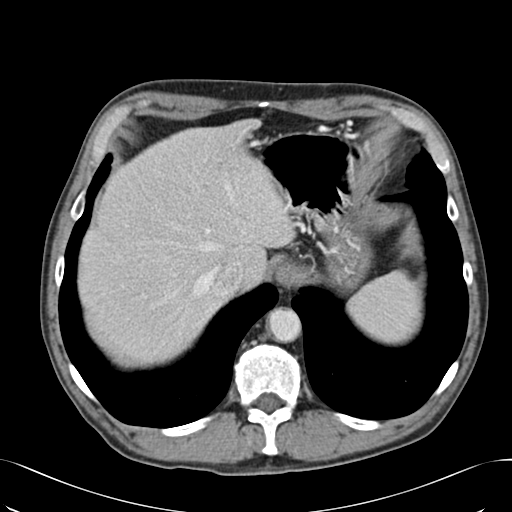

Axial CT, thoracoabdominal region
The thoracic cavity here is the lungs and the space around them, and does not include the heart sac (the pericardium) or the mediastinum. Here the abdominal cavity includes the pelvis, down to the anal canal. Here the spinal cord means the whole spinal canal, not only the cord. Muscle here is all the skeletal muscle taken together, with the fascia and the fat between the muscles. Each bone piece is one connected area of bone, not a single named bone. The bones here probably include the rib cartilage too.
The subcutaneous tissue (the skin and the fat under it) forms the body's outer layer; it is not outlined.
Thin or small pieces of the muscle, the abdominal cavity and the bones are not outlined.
Outlines:
abdominal cavity: [[146,107],[171,120],[249,107],[379,117],[421,134],[427,150],[407,165],[407,190],[384,198],[411,204],[425,243],[426,311],[415,340],[378,345],[329,292],[295,295],[265,283],[222,308],[172,365],[111,367],[83,326],[78,252],[110,171],[110,136]]
spinal cord: [[263,393],[273,393],[274,394],[275,394],[282,401],[282,404],[278,408],[276,408],[274,410],[273,410],[269,413],[268,412],[266,412],[265,411],[260,409],[256,406],[256,400],[258,398],[258,397],[261,394],[262,394]]
mediastinum: [[279,291],[294,294],[291,298],[291,306],[299,317],[302,325],[303,365],[302,364],[301,365],[297,358],[286,349],[279,345],[271,343],[259,343],[254,345],[244,350],[235,360],[237,350],[242,339],[251,326],[261,316],[275,305],[279,297]]
muscle 1: [[145,90],[227,100],[264,100],[258,106],[219,110],[195,119],[167,118],[158,115],[149,106],[131,113],[133,106],[129,103],[116,106],[106,116],[93,139],[90,152],[89,163],[96,169],[70,207],[69,216],[74,223],[64,253],[58,255],[54,266],[54,283],[59,291],[59,329],[69,358],[67,367],[78,388],[115,418],[129,425],[159,428],[159,432],[167,437],[186,436],[205,428],[215,416],[210,413],[227,395],[227,401],[230,402],[235,390],[239,404],[245,408],[246,420],[262,428],[264,445],[261,452],[264,454],[256,454],[234,463],[167,461],[128,449],[109,434],[71,392],[50,343],[46,310],[48,271],[52,242],[65,199],[89,137],[101,116],[118,101]] with a hole at [[139,100],[146,100],[147,101],[147,102],[148,103],[147,104],[147,105],[146,105],[145,106],[143,106],[142,107],[136,107],[135,106],[135,104],[136,103],[136,102],[137,101],[138,101]]
muscle 2: [[348,94],[368,94],[410,105],[431,120],[445,141],[454,162],[475,249],[475,278],[480,304],[479,333],[462,379],[448,401],[430,421],[402,438],[371,449],[327,460],[306,461],[285,454],[279,455],[276,445],[278,426],[292,418],[303,392],[309,400],[312,393],[333,410],[332,415],[342,424],[355,430],[372,431],[383,426],[379,420],[406,416],[417,410],[430,397],[440,395],[449,386],[460,364],[458,356],[465,340],[469,317],[468,289],[474,279],[472,265],[463,257],[460,240],[453,224],[460,214],[453,196],[448,192],[444,177],[450,172],[450,161],[442,144],[423,117],[395,105],[379,106],[394,119],[360,115],[322,119],[267,106],[270,103],[267,100],[329,98]]
bones 1: [[259,344],[279,346],[295,357],[301,369],[301,383],[308,386],[312,395],[309,399],[303,391],[291,418],[277,426],[275,455],[262,452],[263,428],[247,420],[246,408],[240,404],[237,391],[234,390],[228,401],[228,391],[234,387],[234,363],[244,351]]; inner edge: [[263,393],[273,393],[274,394],[275,394],[282,401],[282,404],[278,408],[276,408],[274,410],[273,410],[269,413],[268,412],[266,412],[265,411],[260,409],[256,406],[256,400],[258,398],[258,397],[261,394],[262,394]]
bones 2: [[380,106],[401,107],[409,110],[423,118],[435,135],[435,137],[437,140],[441,144],[443,150],[446,154],[446,156],[449,161],[449,172],[444,175],[437,167],[428,150],[428,145],[425,136],[423,134],[400,123],[399,121],[395,119],[387,111],[382,109]]
bones 3: [[123,104],[129,104],[131,105],[132,106],[132,110],[127,117],[113,130],[109,136],[107,142],[107,147],[106,148],[105,155],[98,166],[96,167],[93,164],[90,163],[90,161],[92,159],[91,152],[92,151],[94,139],[101,125],[107,116],[116,107]]
bones 4: [[210,414],[214,414],[214,416],[212,419],[206,424],[206,426],[205,427],[197,431],[192,432],[186,435],[167,436],[162,434],[159,430],[160,428],[167,428],[168,427],[174,427],[179,425],[183,425],[184,424],[195,421],[200,418],[202,418]]
bones 5: [[334,411],[336,411],[340,413],[343,413],[344,414],[346,414],[347,415],[349,415],[356,418],[366,419],[367,420],[377,420],[382,424],[382,426],[379,428],[373,429],[372,430],[361,430],[360,429],[355,429],[339,421],[338,419],[333,415],[333,412]]
bones 6: [[68,360],[70,360],[70,361],[76,368],[76,369],[80,374],[81,377],[85,382],[86,385],[89,388],[89,389],[95,396],[95,397],[99,401],[100,403],[99,404],[96,403],[90,398],[89,398],[75,383],[69,371],[69,368],[68,367]]
bones 7: [[457,358],[458,358],[459,360],[459,364],[458,365],[458,368],[457,369],[457,371],[453,379],[448,385],[448,386],[440,394],[431,397],[431,395],[439,385],[445,373],[447,371],[447,370],[449,368],[451,364]]
bones 8: [[87,186],[87,188],[86,189],[86,193],[85,194],[85,205],[84,206],[84,209],[83,210],[83,212],[78,218],[78,219],[76,221],[74,221],[71,218],[70,216],[70,210],[71,209],[71,207],[76,197],[78,195],[78,194],[84,188],[85,188]]
bones 9: [[62,253],[63,253],[64,254],[64,269],[63,270],[63,276],[62,277],[61,284],[60,285],[59,290],[58,290],[57,289],[57,287],[56,286],[56,284],[55,283],[55,266],[56,265],[56,262],[57,261],[57,259],[58,258],[59,255],[60,255]]
bones 10: [[448,193],[449,193],[452,196],[452,197],[456,204],[456,206],[457,207],[457,209],[458,210],[458,213],[459,214],[459,215],[458,216],[458,218],[454,222],[452,222],[451,221],[451,220],[448,216],[448,214],[447,213],[447,195],[448,194]]
bones 11: [[464,259],[467,260],[470,263],[470,264],[471,265],[471,269],[472,270],[472,273],[473,274],[473,279],[472,280],[472,282],[471,283],[470,286],[468,288],[467,288],[466,283],[465,282],[465,281],[464,280],[464,278],[463,277],[463,260]]
torso: [[162,78],[364,83],[416,101],[439,122],[458,157],[476,220],[489,308],[484,340],[471,375],[447,415],[427,436],[391,451],[331,467],[219,475],[131,460],[110,447],[81,416],[56,377],[41,334],[39,287],[44,240],[57,200],[96,114],[122,90]]
thoracic cavity 1: [[422,150],[445,180],[446,213],[463,258],[466,332],[417,409],[387,419],[356,417],[332,409],[302,383],[304,332],[292,298],[306,288],[329,293],[353,328],[378,346],[403,348],[416,340],[427,311],[426,243],[412,204],[385,198],[408,190],[406,169]]
thoracic cavity 2: [[107,154],[109,171],[77,252],[75,289],[83,329],[111,368],[126,374],[168,368],[196,348],[231,302],[265,284],[278,292],[274,305],[239,343],[233,387],[211,412],[183,424],[150,427],[115,417],[87,385],[62,339],[65,250],[84,212],[92,176]]